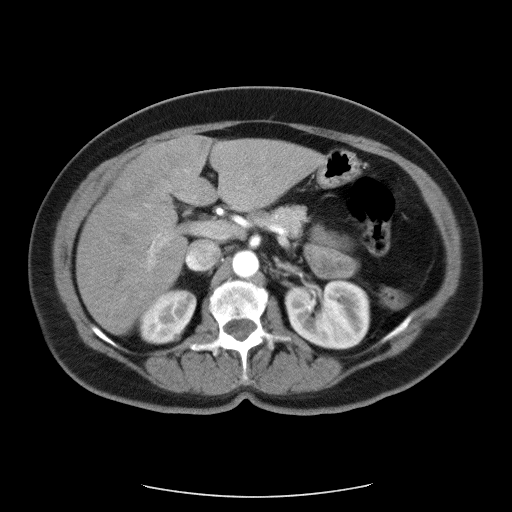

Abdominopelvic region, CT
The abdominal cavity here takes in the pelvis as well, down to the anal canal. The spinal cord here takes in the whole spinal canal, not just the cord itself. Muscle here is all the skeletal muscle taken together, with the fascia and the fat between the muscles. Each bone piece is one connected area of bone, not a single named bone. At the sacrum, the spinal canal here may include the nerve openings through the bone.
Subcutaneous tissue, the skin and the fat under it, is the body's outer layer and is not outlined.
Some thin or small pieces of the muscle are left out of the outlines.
Outlines:
abdominal cavity: 246 123; 288 126; 391 160; 415 182; 431 213; 444 251; 439 286; 355 354; 317 351; 284 325; 278 300; 265 287; 241 279; 222 282; 202 300; 193 333; 145 353; 114 341; 82 307; 72 279; 72 247; 82 220; 116 172; 160 141
bones 1: 228 280; 251 282; 265 288; 268 299; 260 317; 262 327; 272 334; 291 338; 276 341; 272 350; 265 342; 250 348; 246 380; 242 378; 242 362; 236 350; 220 348; 215 356; 209 350; 189 347; 218 336; 219 326; 209 310; 209 297 with a hole at 240 319; 248 319; 249 320; 252 321; 253 322; 253 323; 255 325; 255 328; 243 340; 239 340; 238 339; 235 338; 231 334; 226 332; 226 331; 225 330; 225 326; 226 325; 226 324; 228 322; 229 322; 232 320; 239 320
bones 2: 409 314; 411 314; 411 315; 412 316; 412 318; 411 319; 410 322; 408 324; 407 327; 403 331; 400 332; 395 336; 392 337; 384 343; 382 343; 381 344; 378 343; 379 340; 381 338; 382 338; 386 334; 387 334; 396 326; 397 326
bones 3: 92 324; 95 325; 98 328; 99 328; 99 329; 100 330; 101 330; 109 338; 110 338; 114 342; 115 342; 117 344; 118 347; 115 347; 114 346; 111 345; 109 343; 106 342; 101 338; 100 338; 91 329; 91 325
muscle: 244 119; 273 119; 279 121; 312 125; 336 131; 340 131; 345 133; 360 135; 373 139; 385 145; 387 145; 400 155; 423 169; 440 187; 441 190; 446 196; 452 208; 457 222; 457 225; 460 230; 461 260; 462 261; 461 262; 461 271; 460 272; 458 286; 455 293; 441 310; 438 316; 430 320; 425 325; 419 336; 409 347; 395 356; 386 358; 383 360; 372 363; 365 367; 358 369; 331 387; 325 388; 318 391; 293 393; 289 395; 268 394; 259 391; 250 385; 241 385; 228 393; 219 395; 202 395; 201 394; 195 394; 187 392; 185 393; 172 392; 152 384; 147 379; 144 378; 122 362; 120 362; 116 359; 106 355; 104 353; 99 352; 91 348; 79 336; 75 326; 75 323; 66 310; 65 305; 60 299; 54 282; 53 268; 52 267; 52 245; 53 244; 53 239; 55 234; 57 221; 60 218; 61 213; 72 194; 89 172; 103 161; 119 154; 130 145; 149 136; 178 127; 194 125; 195 124; 201 124; 202 123; 225 121; 226 120; 243 120, around a hole outlined by 246 123; 345 143; 415 182; 444 267; 403 331; 355 354; 320 352; 284 325; 270 294; 261 325; 291 340; 250 348; 244 380; 236 350; 189 347; 218 336; 208 296; 194 332; 168 348; 115 347; 91 329; 72 247; 116 172; 160 141
torso: 231 86; 306 88; 361 103; 419 136; 459 182; 480 231; 483 301; 465 343; 421 381; 340 413; 280 414; 247 399; 231 410; 214 414; 161 413; 87 390; 51 355; 30 301; 27 251; 35 214; 59 171; 92 137; 137 110; 174 96
spinal cord: 240 319; 248 319; 249 320; 252 321; 253 322; 253 323; 255 325; 255 328; 243 340; 239 340; 238 339; 235 338; 231 334; 226 332; 226 331; 225 330; 225 326; 226 325; 226 324; 228 322; 229 322; 232 320; 239 320